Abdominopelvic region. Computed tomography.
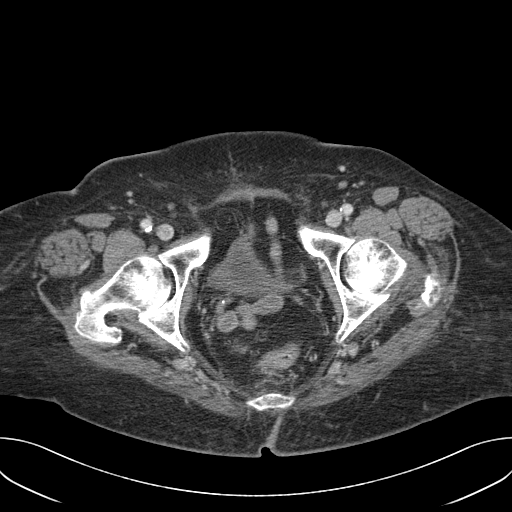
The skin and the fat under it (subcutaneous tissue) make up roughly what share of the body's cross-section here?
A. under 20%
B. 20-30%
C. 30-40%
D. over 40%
D. over 40%
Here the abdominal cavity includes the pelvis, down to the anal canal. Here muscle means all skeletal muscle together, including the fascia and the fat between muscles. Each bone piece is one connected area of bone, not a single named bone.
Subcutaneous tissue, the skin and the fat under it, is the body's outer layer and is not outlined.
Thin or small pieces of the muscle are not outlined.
Outlines (x, y in pixels):
bones 1: 208 229; 212 237; 209 254; 191 271; 179 308; 179 330; 190 346; 187 353; 139 322; 137 313; 130 309; 115 309; 104 317; 108 325; 122 331; 120 342; 114 345; 92 342; 75 331; 84 289; 100 287; 128 259; 142 254; 155 257
bones 2: 296 220; 318 230; 353 237; 357 240; 370 236; 379 238; 386 241; 408 264; 403 276; 390 288; 390 295; 387 300; 375 309; 344 339; 343 346; 334 340; 336 331; 343 318; 343 309; 339 294; 327 266; 320 258; 311 256; 298 239
bones 3: 434 268; 436 268; 438 272; 438 279; 442 287; 439 300; 431 307; 426 307; 424 305; 422 305; 418 308; 409 308; 409 306; 413 306; 416 303; 416 300; 418 299; 421 292; 423 290; 424 287; 423 286; 423 281; 425 274; 429 273
bones 4: 270 392; 279 392; 285 395; 294 396; 295 397; 295 400; 294 402; 287 408; 280 408; 279 407; 277 407; 276 408; 267 408; 261 411; 258 411; 253 407; 246 405; 245 403; 245 401; 248 399; 254 398; 262 394; 269 393
abdominal cavity: 256 198; 283 200; 299 209; 294 221; 296 237; 310 256; 335 314; 335 333; 330 333; 333 337; 316 371; 288 389; 262 385; 257 390; 228 375; 218 360; 214 365; 192 341; 186 322; 211 251; 212 228; 205 218; 216 207; 251 203
muscle 1: 240 182; 287 192; 301 186; 313 191; 314 197; 333 198; 376 186; 414 186; 434 197; 456 226; 458 292; 452 311; 447 313; 447 337; 440 337; 439 342; 410 357; 386 378; 316 407; 313 414; 254 418; 249 424; 188 404; 178 395; 133 375; 87 364; 72 351; 62 326; 38 297; 31 261; 41 239; 71 214; 109 209; 118 212; 145 239; 166 241; 182 228; 187 202; 211 198; 230 183, around holes outlined by 256 198; 297 207; 295 219; 318 230; 384 240; 408 264; 304 381; 257 390; 202 353; 186 322; 202 266; 179 308; 187 353; 130 309; 104 317; 122 331; 114 345; 75 331; 84 289; 128 259; 211 230; 210 210 and by 434 268; 436 268; 438 272; 438 279; 442 287; 439 300; 431 307; 426 307; 424 305; 422 305; 418 308; 409 308; 409 306; 413 306; 416 303; 416 300; 418 299; 421 292; 423 290; 424 287; 423 286; 423 281; 425 274; 429 273 and by 270 392; 279 392; 285 395; 294 396; 295 397; 295 400; 294 402; 287 408; 280 408; 279 407; 277 407; 276 408; 267 408; 261 411; 258 411; 253 407; 246 405; 245 403; 245 401; 248 399; 254 398; 262 394; 269 393
muscle 2: 310 257; 318 258; 323 262; 331 276; 335 289; 338 294; 342 309; 342 318; 341 322; 336 330; 335 329; 336 314; 333 304; 328 296; 328 293; 325 287; 321 282; 319 274; 316 270; 316 268; 313 265; 314 262
torso: 241 130; 294 131; 326 141; 384 150; 511 228; 511 396; 478 400; 401 432; 347 447; 291 456; 278 456; 263 447; 259 457; 239 457; 144 441; 80 419; 54 402; 0 395; 0 209; 41 193; 70 189; 92 168; 114 157; 202 135